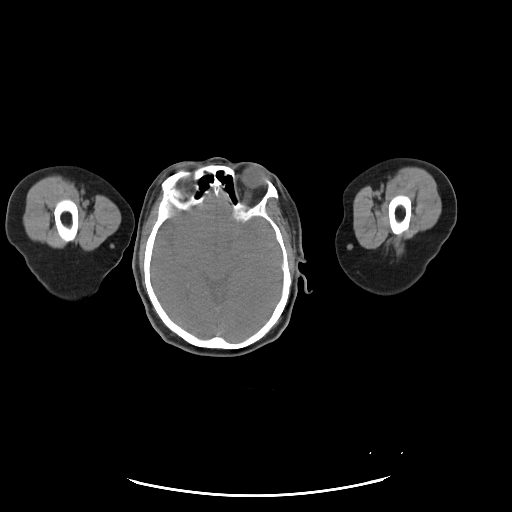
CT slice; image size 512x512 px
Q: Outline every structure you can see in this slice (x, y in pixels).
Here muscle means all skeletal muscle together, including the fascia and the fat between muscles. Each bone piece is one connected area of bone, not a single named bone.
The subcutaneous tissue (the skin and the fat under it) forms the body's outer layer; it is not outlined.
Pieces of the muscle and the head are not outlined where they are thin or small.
A: The bones appear in 3 outlined pieces: piece 1: [[209,164],[234,170],[239,201],[249,207],[265,193],[265,179],[278,193],[267,200],[266,212],[279,228],[286,250],[291,279],[287,303],[265,335],[237,349],[199,347],[181,338],[161,320],[145,285],[144,253],[157,219],[162,182],[179,170],[191,172]]; inner edges: [[212,197],[225,204],[230,212],[229,217],[235,222],[263,218],[272,228],[281,253],[279,297],[264,323],[239,341],[230,341],[219,335],[203,338],[182,327],[163,307],[151,280],[153,249],[162,224],[174,215],[174,208],[188,211],[192,207],[202,206]], then [[190,176],[191,176],[192,179],[195,182],[193,184],[193,189],[194,190],[194,192],[191,193],[186,197],[186,196],[185,195],[184,195],[182,193],[181,190],[177,186],[177,183],[178,182],[178,181],[180,179],[181,179],[182,178],[187,178]], then [[218,172],[221,172],[222,173],[222,175],[224,177],[226,177],[227,176],[230,176],[232,180],[232,187],[233,188],[233,193],[235,196],[236,201],[233,201],[233,200],[230,196],[230,194],[226,190],[226,184],[224,182],[221,181],[219,179],[218,177]], then [[208,175],[209,175],[212,177],[212,180],[211,181],[210,181],[207,184],[207,187],[204,188],[202,190],[201,193],[198,196],[196,196],[196,194],[198,192],[199,192],[201,189],[201,188],[198,183],[198,181],[201,178],[202,178],[205,176],[207,176]]; piece 2: [[62,199],[70,199],[72,200],[76,204],[77,206],[77,211],[78,212],[78,228],[77,229],[77,232],[74,239],[72,241],[70,241],[69,242],[66,242],[63,240],[58,234],[57,228],[55,224],[54,213],[53,212],[54,211],[54,209],[57,202]]; piece 3: [[399,194],[403,194],[409,197],[411,201],[411,215],[410,216],[410,219],[409,220],[409,226],[408,228],[400,235],[396,235],[392,232],[391,228],[390,227],[390,224],[389,223],[389,216],[388,215],[388,206],[391,199],[394,196],[398,195]]. The muscle appears in 6 outlined pieces: piece 1: [[403,166],[417,166],[425,169],[433,176],[436,181],[438,192],[441,197],[442,211],[438,221],[433,227],[427,231],[417,234],[410,241],[402,258],[398,260],[389,260],[371,254],[358,246],[352,227],[353,220],[352,203],[355,194],[362,187],[374,182]], around a hole outlined by [[399,194],[403,194],[409,197],[411,201],[411,215],[410,216],[410,219],[409,220],[409,226],[408,228],[400,235],[396,235],[392,232],[391,228],[390,227],[390,224],[389,223],[389,216],[388,215],[388,206],[391,199],[394,196],[398,195]]; piece 2: [[52,174],[59,174],[67,178],[81,182],[106,194],[119,208],[122,219],[118,229],[93,251],[84,252],[81,250],[52,248],[47,245],[34,242],[29,239],[26,235],[22,224],[22,216],[25,208],[25,198],[27,191],[36,181],[45,176]] with a hole at [[62,199],[70,199],[72,200],[76,204],[77,206],[77,211],[78,212],[78,228],[77,229],[77,232],[74,239],[72,241],[70,241],[69,242],[66,242],[63,240],[58,234],[57,228],[55,224],[54,213],[53,212],[54,211],[54,209],[57,202]]; piece 3: [[278,191],[279,193],[283,196],[284,201],[293,219],[294,238],[295,239],[295,269],[294,270],[294,275],[293,276],[292,282],[290,269],[288,264],[287,250],[284,243],[282,233],[278,225],[267,212],[267,202],[268,200],[270,198],[277,199],[279,197]]; piece 4: [[161,182],[160,188],[162,194],[157,206],[156,219],[153,223],[147,236],[143,253],[143,277],[144,278],[144,285],[145,286],[145,290],[146,291],[146,294],[146,292],[145,291],[142,285],[141,274],[139,269],[139,247],[140,246],[143,221],[147,212],[151,195],[156,187]]; piece 5: [[282,314],[282,317],[281,318],[281,319],[280,320],[280,321],[278,323],[278,324],[274,328],[274,329],[271,332],[270,332],[269,333],[268,333],[266,335],[266,334],[272,328],[272,327],[277,322],[277,321],[279,319],[279,318],[281,316],[281,315]]; piece 6: [[152,306],[153,307],[153,308],[154,309],[154,310],[155,311],[155,312],[157,314],[157,315],[158,316],[158,317],[160,319],[160,320],[163,323],[163,324],[160,321],[160,320],[155,315],[155,314],[154,313],[154,311],[153,310],[153,308],[152,307]]. The right arm is outlined by [[57,164],[82,166],[103,177],[119,191],[132,208],[134,214],[134,229],[129,244],[120,261],[106,275],[99,289],[91,299],[80,307],[69,306],[44,289],[25,265],[23,257],[7,241],[4,230],[4,219],[8,199],[17,183],[24,176],[36,169]]. The brain is outlined by [[212,197],[225,204],[230,212],[229,217],[235,222],[263,218],[272,228],[281,253],[279,297],[264,323],[239,341],[230,341],[219,335],[203,338],[182,327],[163,307],[151,280],[153,249],[162,224],[174,215],[174,208],[188,211],[192,207],[202,206]]. The head is outlined by [[214,156],[259,163],[287,189],[297,206],[302,227],[306,262],[300,262],[298,267],[305,277],[306,288],[311,290],[305,292],[305,291],[305,280],[302,277],[299,277],[291,316],[281,334],[271,344],[235,357],[199,356],[166,343],[146,315],[132,271],[139,213],[152,181],[171,164]], around holes outlined by [[218,172],[221,172],[222,173],[222,175],[224,177],[226,177],[227,176],[230,176],[232,180],[232,187],[233,188],[233,193],[235,196],[236,201],[233,201],[233,200],[230,196],[230,194],[226,190],[226,184],[224,182],[221,181],[219,179],[218,177]] and by [[208,175],[209,175],[212,177],[212,180],[211,181],[210,181],[207,184],[207,187],[204,188],[202,190],[201,193],[198,196],[196,196],[196,194],[198,192],[199,192],[201,189],[201,188],[198,183],[198,181],[201,178],[202,178],[205,176],[207,176]]. The left arm is outlined by [[393,157],[419,158],[428,161],[441,169],[451,182],[456,195],[457,220],[441,250],[428,264],[427,269],[421,278],[405,291],[395,295],[386,296],[370,293],[360,288],[346,276],[336,257],[334,237],[336,229],[343,217],[342,194],[347,184],[372,165]].